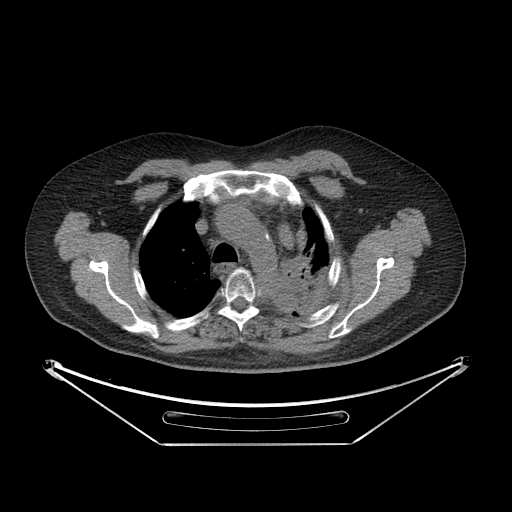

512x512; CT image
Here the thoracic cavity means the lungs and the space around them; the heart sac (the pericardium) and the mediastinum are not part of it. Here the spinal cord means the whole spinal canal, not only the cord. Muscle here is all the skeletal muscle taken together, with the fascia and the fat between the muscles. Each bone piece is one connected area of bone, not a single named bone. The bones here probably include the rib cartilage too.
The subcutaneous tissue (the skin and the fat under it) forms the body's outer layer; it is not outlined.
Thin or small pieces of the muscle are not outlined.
{"torso":[[[313,124],[345,128],[385,146],[425,169],[446,191],[463,232],[466,266],[460,293],[445,314],[399,344],[361,361],[276,373],[230,373],[176,368],[115,352],[46,312],[26,268],[24,234],[35,198],[61,168],[107,145],[149,132],[181,132],[247,145]]],"muscle":[{"outer":[[312,149],[339,154],[353,174],[366,181],[348,180],[345,196],[323,201],[345,250],[351,252],[377,225],[387,228],[404,207],[423,213],[431,237],[431,245],[417,259],[408,293],[334,348],[303,355],[242,343],[164,353],[131,333],[157,339],[159,328],[113,290],[107,260],[90,259],[88,267],[104,276],[107,292],[129,310],[134,321],[122,323],[121,329],[75,293],[68,267],[54,246],[54,235],[69,211],[82,211],[91,218],[92,231],[115,233],[132,244],[145,223],[139,269],[133,265],[131,275],[139,296],[145,300],[149,295],[173,317],[163,323],[170,331],[185,330],[213,314],[231,320],[241,332],[261,312],[263,295],[276,310],[306,317],[298,323],[302,328],[328,321],[340,303],[324,305],[327,282],[332,288],[336,285],[342,260],[336,255],[330,262],[329,245],[335,238],[327,215],[317,202],[312,208],[307,205],[286,175],[244,168],[199,173],[182,184],[179,199],[163,209],[159,204],[148,218],[150,209],[132,202],[134,185],[115,183],[153,158],[182,158],[191,163],[222,159],[242,167]],"hole":[[380,257],[392,257],[394,262],[392,267],[383,269],[381,271],[380,283],[376,294],[367,304],[357,309],[349,317],[347,325],[352,327],[350,332],[341,336],[329,338],[328,333],[330,329],[341,321],[355,306],[363,302],[372,292],[376,284],[376,261]]}],"thoracic_cavity":[[[180,199],[184,203],[197,201],[199,214],[194,222],[194,228],[209,259],[209,278],[212,280],[219,280],[221,285],[217,288],[211,299],[203,308],[191,315],[174,318],[152,299],[147,290],[140,271],[140,248],[144,239],[155,224],[161,212]],[[306,205],[309,206],[318,217],[324,239],[328,245],[330,263],[325,279],[327,297],[322,307],[307,316],[293,316],[276,309],[263,294],[262,290],[257,286],[264,287],[272,283],[279,276],[284,263],[297,253],[297,234],[301,225],[302,213]]],"mediastinum":[[[259,193],[265,195],[267,203],[280,198],[292,206],[305,204],[296,234],[296,253],[283,263],[278,276],[264,286],[256,285],[251,271],[243,266],[234,268],[223,283],[210,278],[210,259],[195,228],[200,214],[198,200],[208,197],[218,203],[222,196]]],"bones":[[[226,169],[257,170],[284,175],[294,184],[304,204],[292,205],[280,197],[273,197],[271,202],[267,202],[266,195],[262,192],[242,193],[236,196],[222,195],[218,202],[213,202],[208,196],[184,202],[181,198],[184,193],[183,184],[187,180],[199,174]],{"outer":[[238,267],[243,267],[250,271],[255,285],[262,293],[259,300],[260,312],[248,319],[241,331],[231,319],[213,313],[210,319],[203,319],[199,323],[185,329],[173,331],[165,327],[164,323],[166,321],[175,318],[185,318],[203,309],[224,283],[227,276]],"hole":[[238,297],[242,297],[247,302],[247,306],[245,308],[244,308],[242,310],[237,310],[236,309],[235,309],[232,306],[232,302],[236,298],[237,298]]},[[90,260],[107,261],[110,287],[119,297],[132,307],[140,318],[157,325],[159,332],[157,338],[153,338],[145,333],[130,332],[121,327],[122,324],[132,324],[135,321],[134,317],[128,308],[111,296],[106,288],[105,276],[101,272],[93,271],[89,267]],[[380,257],[392,257],[394,262],[392,267],[383,269],[381,271],[380,283],[376,294],[367,304],[357,309],[349,317],[347,325],[352,327],[350,332],[341,336],[329,338],[328,333],[330,329],[341,321],[355,306],[363,302],[372,292],[376,284],[376,261]],[[333,302],[338,302],[339,303],[339,305],[337,309],[333,314],[333,315],[328,320],[325,321],[321,324],[319,324],[318,325],[316,325],[312,327],[302,327],[299,325],[299,323],[300,322],[303,322],[309,315],[315,312],[317,310],[322,308],[324,306]],[[315,202],[317,203],[322,209],[323,212],[326,215],[330,223],[331,229],[333,233],[333,237],[334,238],[333,242],[330,244],[328,244],[325,239],[325,237],[324,236],[324,231],[323,230],[323,227],[322,226],[321,221],[313,209],[313,205]],[[336,256],[340,257],[340,259],[341,260],[341,269],[340,270],[340,273],[339,274],[338,280],[335,284],[335,285],[332,287],[330,285],[329,285],[327,281],[327,274],[328,273],[328,271],[330,267],[331,261],[333,259],[333,258]],[[133,266],[134,266],[139,270],[141,274],[141,276],[143,279],[143,281],[144,282],[146,290],[148,293],[145,299],[143,299],[140,296],[140,295],[138,293],[136,289],[136,286],[135,285],[135,283],[133,279],[133,276],[132,275],[132,267]],[[159,205],[161,205],[162,206],[162,210],[158,215],[158,217],[156,219],[154,224],[149,230],[149,231],[143,239],[142,238],[142,232],[143,231],[143,229],[144,228],[144,227],[145,226],[148,219],[150,217],[150,216],[152,214],[152,213]]],"spinal_cord":[[[238,297],[242,297],[247,302],[247,306],[245,308],[244,308],[242,310],[237,310],[236,309],[235,309],[232,306],[232,302],[236,298],[237,298]]]}